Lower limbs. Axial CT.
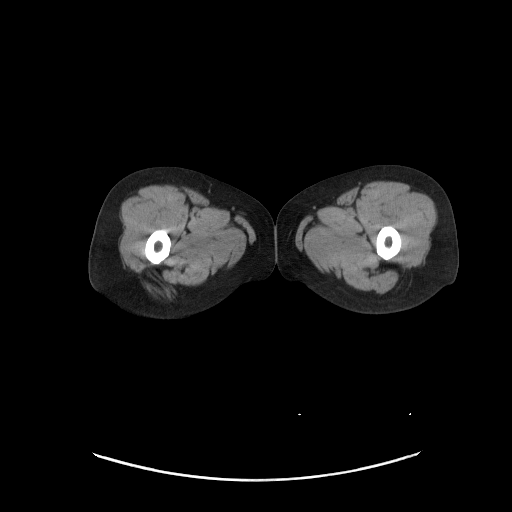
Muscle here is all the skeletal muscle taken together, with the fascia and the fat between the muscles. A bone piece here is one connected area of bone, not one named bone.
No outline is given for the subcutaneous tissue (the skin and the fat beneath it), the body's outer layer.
The right leg is outlined by 159 165; 190 168; 239 188; 260 201; 269 211; 274 223; 276 266; 273 268; 272 272; 259 282; 241 285; 211 309; 198 315; 178 320; 148 320; 125 313; 95 291; 88 279; 89 246; 96 218; 106 194; 117 181; 127 174; 141 168. The left leg is outlined by 387 163; 406 165; 427 173; 443 187; 448 195; 454 214; 459 248; 459 266; 454 282; 414 308; 396 313; 371 315; 356 313; 338 307; 320 297; 302 283; 290 282; 285 279; 277 267; 274 222; 281 207; 295 194; 322 179; 368 165. The muscle appears in 2 outlined pieces: piece 1: 370 177; 390 177; 400 179; 418 186; 430 195; 434 200; 439 219; 430 238; 431 246; 425 264; 419 270; 413 273; 411 283; 406 295; 401 300; 391 303; 374 303; 345 294; 314 273; 294 248; 295 231; 305 216; 325 200; 354 183 with a hole at 386 225; 387 226; 389 226; 390 225; 393 226; 399 232; 401 236; 401 247; 398 253; 388 260; 385 260; 380 256; 379 256; 376 252; 376 248; 375 247; 375 240; 376 239; 376 236; 377 235; 377 233; 382 226; 385 226; piece 2: 153 182; 170 182; 183 185; 221 203; 244 211; 251 217; 257 232; 257 241; 254 247; 232 269; 210 282; 203 288; 172 303; 162 303; 152 297; 124 269; 119 260; 118 238; 122 233; 122 224; 119 218; 118 211; 121 203; 129 193; inner edge: 156 229; 167 229; 167 233; 169 235; 170 237; 170 240; 171 241; 171 246; 170 247; 170 250; 169 251; 169 254; 168 256; 160 263; 158 264; 153 264; 146 258; 144 254; 144 245; 145 244; 145 241; 147 239; 148 236. The bones appear in 2 outlined pieces: piece 1: 156 229; 167 229; 167 233; 169 235; 170 237; 170 240; 171 241; 171 246; 170 247; 170 250; 169 251; 169 254; 168 256; 160 263; 158 264; 153 264; 146 258; 144 254; 144 245; 145 244; 145 241; 147 239; 148 236; piece 2: 386 225; 387 226; 389 226; 390 225; 393 226; 399 232; 401 236; 401 247; 398 253; 388 260; 385 260; 380 256; 379 256; 376 252; 376 248; 375 247; 375 240; 376 239; 376 236; 377 235; 377 233; 382 226; 385 226.